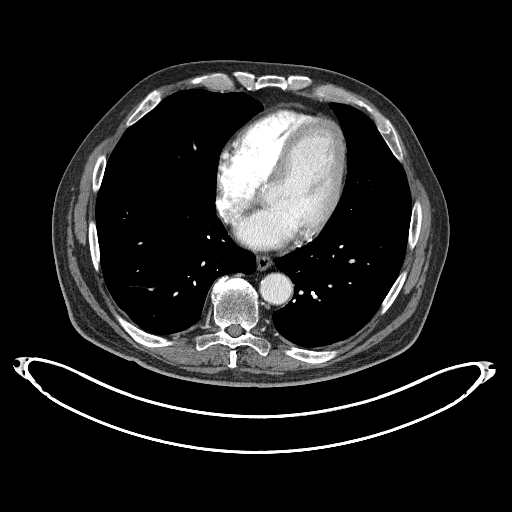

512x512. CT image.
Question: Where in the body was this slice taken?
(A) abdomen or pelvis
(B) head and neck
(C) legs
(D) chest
Answer: (D) chest
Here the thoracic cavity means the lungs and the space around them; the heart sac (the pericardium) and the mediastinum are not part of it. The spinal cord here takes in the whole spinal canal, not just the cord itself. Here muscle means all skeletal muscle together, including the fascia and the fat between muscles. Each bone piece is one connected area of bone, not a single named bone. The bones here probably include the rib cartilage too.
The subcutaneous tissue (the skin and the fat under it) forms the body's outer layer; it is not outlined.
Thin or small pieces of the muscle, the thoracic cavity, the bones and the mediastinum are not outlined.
The muscle appears in 4 outlined pieces: piece 1: 204 373; 229 369; 230 349; 227 346; 216 344; 202 351; 195 349; 195 337; 213 331; 215 327; 170 339; 174 341; 171 346; 148 348; 137 343; 115 319; 114 310; 127 318; 113 301; 100 271; 93 269; 90 260; 87 223; 94 219; 96 196; 91 189; 92 169; 100 153; 104 152; 108 157; 138 102; 114 131; 94 147; 77 181; 66 215; 68 267; 80 293; 96 314; 132 346; 169 364; piece 2: 275 375; 315 370; 366 350; 399 327; 417 306; 431 255; 432 209; 396 128; 412 203; 418 198; 423 212; 418 242; 406 250; 401 270; 408 270; 405 283; 385 314; 381 315; 379 309; 353 340; 338 348; 340 352; 334 358; 320 364; 287 356; 283 351; 290 345; 266 327; 263 333; 258 330; 265 325; 261 317; 252 332; 271 344; 268 354; 261 356; 248 346; 238 347; 237 366; 231 369; piece 3: 387 117; 388 117; 383 112; 382 112; 371 101; 370 101; 367 98; 357 93; 355 93; 352 91; 350 91; 344 88; 342 86; 340 86; 335 83; 332 83; 328 81; 321 81; 320 80; 316 80; 312 78; 313 80; 313 83; 308 88; 304 90; 301 90; 300 91; 294 91; 297 91; 298 93; 305 94; 308 96; 310 96; 311 97; 313 97; 315 98; 312 95; 312 91; 313 89; 316 86; 318 85; 320 85; 321 84; 326 84; 327 83; 331 83; 336 86; 339 86; 340 87; 342 87; 344 88; 352 94; 362 99; 364 101; 368 103; 371 106; 374 107; 376 109; 380 111; piece 4: 163 98; 167 95; 173 92; 175 92; 180 89; 194 88; 195 87; 204 87; 202 85; 192 85; 189 82; 189 80; 190 79; 192 77; 193 77; 190 77; 182 79; 176 82; 174 82; 170 84; 167 84; 166 85; 162 85; 155 88; 161 91. The thoracic cavity appears in 2 outlined pieces: piece 1: 173 339; 201 329; 210 305; 209 289; 219 276; 249 274; 255 269; 253 254; 233 241; 215 213; 220 152; 232 134; 262 109; 257 100; 240 91; 221 93; 195 88; 164 98; 125 130; 107 159; 97 193; 100 270; 108 291; 134 324; piece 2: 310 349; 342 346; 357 335; 379 308; 401 269; 412 204; 402 165; 392 155; 373 120; 363 111; 341 103; 331 103; 330 106; 347 146; 347 175; 342 195; 315 239; 276 259; 276 266; 294 283; 294 299; 270 318; 262 318; 277 338. The bones appear in 10 outlined pieces: piece 1: 230 368; 236 366; 235 349; 238 346; 248 345; 266 355; 270 344; 251 332; 260 317; 256 290; 244 278; 226 274; 210 289; 211 305; 201 326; 204 330; 213 325; 216 330; 198 335; 196 349; 202 350; 216 343; 227 345; 231 349 with a hole at 232 336; 238 336; 240 334; 241 334; 243 332; 243 329; 239 325; 238 325; 237 324; 232 324; 231 325; 230 325; 229 326; 228 326; 226 328; 226 331; 230 335; 231 335; piece 2: 221 92; 235 90; 237 83; 247 90; 257 90; 266 86; 276 86; 283 90; 300 90; 308 87; 312 80; 308 76; 294 74; 287 77; 277 74; 256 76; 250 72; 237 70; 233 71; 230 76; 226 73; 214 72; 196 76; 190 82; piece 3: 401 163; 403 160; 403 153; 399 143; 398 135; 395 128; 388 118; 342 88; 336 87; 331 84; 327 84; 318 86; 314 89; 313 95; 319 100; 341 102; 352 105; 357 105; 364 108; 371 115; 376 124; 377 129; 393 155; piece 4: 148 347; 161 347; 162 346; 171 345; 173 344; 173 341; 165 337; 163 337; 162 336; 158 336; 157 335; 154 335; 140 329; 131 322; 130 322; 127 319; 123 317; 120 314; 114 311; 113 313; 116 319; 119 322; 122 327; 137 342; piece 5: 309 363; 320 363; 321 362; 327 361; 334 357; 339 352; 339 350; 337 349; 326 349; 325 350; 310 350; 309 349; 300 348; 297 346; 291 346; 289 349; 286 349; 284 351; 287 355; 289 355; 296 359; 298 359; 302 361; 305 361; piece 6: 126 127; 128 127; 130 125; 136 122; 146 113; 147 113; 153 108; 154 108; 159 103; 159 102; 162 99; 160 91; 156 89; 153 89; 151 91; 150 91; 144 97; 144 98; 140 102; 139 105; 136 108; 136 109; 128 117; 126 121; piece 7: 410 249; 412 249; 416 244; 419 236; 420 228; 421 227; 422 212; 421 211; 421 205; 418 199; 416 199; 414 201; 412 205; 412 210; 411 211; 411 219; 410 220; 410 224; 409 225; 409 233; 408 234; 408 240; 407 241; 407 247; piece 8: 96 271; 98 271; 100 269; 99 267; 99 245; 97 240; 97 231; 95 226; 95 222; 94 220; 91 219; 88 223; 88 243; 89 244; 89 250; 90 251; 90 255; 91 256; 92 264; 94 267; 94 269; piece 9: 381 314; 385 313; 385 312; 392 304; 395 298; 397 296; 398 293; 400 291; 404 283; 404 281; 406 278; 406 276; 407 275; 407 270; 406 269; 400 272; 399 275; 393 283; 389 291; 382 301; 381 303; 381 306; 380 307; 380 313; piece 10: 95 193; 97 192; 97 191; 100 187; 100 185; 101 184; 101 180; 102 179; 102 177; 103 176; 103 173; 105 169; 105 165; 106 164; 106 155; 104 153; 100 154; 98 156; 96 160; 94 168; 93 169; 93 173; 92 174; 92 189. The pericardium is outlined by 276 254; 282 254; 300 247; 319 234; 339 200; 345 177; 345 140; 338 122; 325 115; 318 114; 301 105; 293 103; 280 104; 264 111; 262 110; 239 128; 224 146; 219 158; 217 172; 216 210; 227 229; 242 245; 254 250; 271 251. The spinal cord is outlined by 232 336; 238 336; 240 334; 241 334; 243 332; 243 329; 239 325; 238 325; 237 324; 232 324; 231 325; 230 325; 229 326; 228 326; 226 328; 226 331; 230 335; 231 335. The torso is outlined by 238 387; 278 387; 323 381; 399 354; 419 334; 445 262; 449 245; 447 204; 413 128; 384 94; 331 69; 297 63; 210 59; 178 63; 154 71; 134 84; 91 128; 71 157; 56 190; 52 247; 60 287; 75 329; 101 348; 158 373. The mediastinum appears in 2 outlined pieces: piece 1: 262 317; 270 317; 275 310; 293 299; 293 283; 274 263; 277 257; 285 254; 276 255; 271 252; 246 248; 239 244; 227 230; 236 243; 251 251; 255 256; 256 269; 253 273; 249 275; 233 273; 230 275; 238 274; 254 286; 259 294; piece 2: 335 120; 337 120; 336 116; 329 106; 333 102; 319 101; 298 94; 297 92; 289 90; 283 91; 276 87; 266 87; 257 91; 247 91; 243 88; 236 90; 246 92; 257 99; 263 105; 264 110; 276 104; 293 102; 318 113; 325 114.